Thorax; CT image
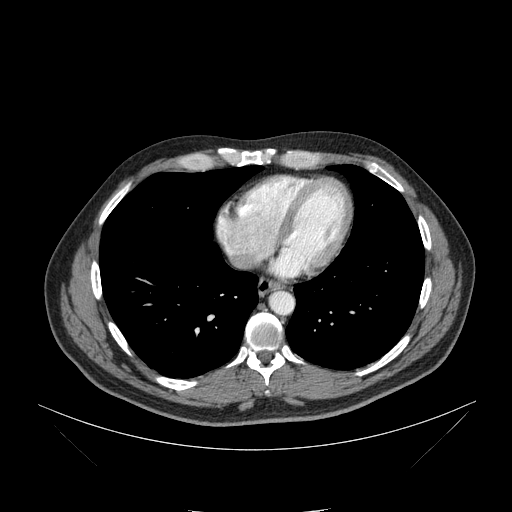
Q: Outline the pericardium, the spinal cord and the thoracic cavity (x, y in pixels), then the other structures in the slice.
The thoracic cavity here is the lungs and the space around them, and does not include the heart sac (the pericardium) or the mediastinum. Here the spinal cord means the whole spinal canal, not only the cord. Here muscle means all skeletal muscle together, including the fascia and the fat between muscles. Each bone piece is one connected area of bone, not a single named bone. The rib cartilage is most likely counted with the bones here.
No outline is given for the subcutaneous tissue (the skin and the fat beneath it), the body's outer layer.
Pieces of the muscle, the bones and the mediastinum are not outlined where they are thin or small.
A: The pericardium is outlined by 286 282; 301 281; 313 277; 322 271; 337 255; 349 235; 354 210; 353 197; 349 187; 336 177; 318 174; 291 174; 290 175; 273 174; 264 176; 242 186; 221 207; 215 223; 215 239; 222 250; 227 255; 231 264; 240 268; 251 269. The spinal cord is outlined by 263 363; 267 363; 271 359; 271 358; 272 357; 272 355; 273 354; 272 353; 272 352; 271 351; 268 351; 267 350; 262 350; 261 351; 259 351; 257 353; 257 356; 258 357; 258 358. The thoracic cavity appears in 2 outlined pieces: piece 1: 186 379; 219 367; 236 354; 244 325; 257 302; 257 276; 252 272; 234 270; 225 263; 213 239; 212 225; 221 204; 247 179; 262 170; 262 166; 154 173; 132 189; 103 224; 99 265; 103 296; 113 320; 130 347; 148 366; 160 374; piece 2: 341 370; 364 367; 378 359; 406 332; 417 307; 424 277; 424 249; 416 220; 402 195; 364 168; 351 164; 327 166; 342 173; 350 183; 355 205; 350 235; 338 255; 322 272; 294 285; 296 306; 285 327; 285 339; 294 352; 309 362. The torso is outlined by 213 427; 313 421; 347 413; 429 374; 451 351; 465 321; 473 290; 473 250; 444 201; 388 147; 365 136; 329 130; 257 139; 208 134; 164 139; 122 161; 65 230; 47 264; 43 286; 48 322; 64 354; 96 387; 114 397; 170 419. The muscle appears in 2 outlined pieces: piece 1: 211 409; 242 409; 263 396; 307 404; 347 395; 403 369; 429 351; 448 330; 460 299; 461 264; 458 261; 454 264; 449 256; 447 239; 435 215; 387 161; 370 154; 312 151; 323 156; 324 163; 318 167; 332 163; 363 167; 366 159; 379 163; 403 185; 402 194; 415 218; 421 213; 431 232; 432 249; 425 251; 425 275; 432 278; 432 291; 425 307; 417 308; 407 330; 412 338; 396 358; 362 377; 355 376; 355 370; 286 361; 272 373; 266 386; 262 376; 243 362; 229 369; 222 366; 209 371; 195 378; 196 386; 178 392; 156 383; 152 377; 157 372; 135 354; 129 357; 115 342; 106 326; 112 319; 104 299; 98 301; 92 294; 89 269; 93 258; 98 261; 102 226; 97 223; 98 215; 128 180; 133 181; 133 188; 154 172; 183 170; 175 163; 182 154; 200 151; 214 155; 216 166; 226 164; 215 154; 217 147; 159 158; 122 179; 102 203; 79 242; 69 281; 62 283; 60 308; 67 333; 90 359; 115 377; 150 394; piece 2: 276 163; 277 163; 277 162; 278 161; 278 156; 282 152; 283 152; 285 150; 286 150; 288 148; 289 148; 287 148; 286 147; 275 147; 276 147; 278 149; 278 153; 274 157; 274 158; 273 159; 273 162; 275 162. The bones appear in 12 outlined pieces: piece 1: 266 385; 268 385; 271 373; 283 365; 286 360; 299 364; 307 363; 294 353; 285 341; 282 323; 273 314; 266 311; 261 311; 249 317; 244 329; 243 342; 237 354; 224 365; 224 368; 229 368; 245 361; 250 368; 257 370; 263 376; inner edge: 263 363; 267 363; 271 359; 271 358; 272 357; 272 355; 273 354; 272 353; 272 352; 271 351; 268 351; 267 350; 262 350; 261 351; 259 351; 257 353; 257 356; 258 357; 258 358; piece 2: 231 166; 243 166; 247 164; 259 164; 260 165; 269 164; 272 162; 273 157; 277 153; 277 149; 274 147; 269 147; 266 148; 263 151; 259 149; 238 151; 235 148; 232 148; 231 147; 218 147; 216 149; 216 154; 222 161; piece 3: 295 169; 311 169; 312 168; 315 168; 317 167; 318 165; 319 165; 321 163; 323 163; 323 160; 322 159; 322 156; 321 154; 318 152; 312 152; 311 151; 308 151; 307 150; 288 149; 279 156; 279 161; 278 163; 286 167; 291 167; piece 4: 185 171; 205 171; 208 169; 214 168; 216 165; 216 161; 215 160; 215 157; 214 156; 208 155; 207 154; 204 154; 200 152; 193 152; 192 153; 188 153; 187 154; 182 155; 177 158; 176 160; 176 163; piece 5: 359 376; 362 376; 365 374; 367 374; 378 369; 396 357; 406 346; 410 340; 411 338; 411 334; 409 332; 407 332; 393 347; 392 347; 378 360; 374 362; 372 362; 364 368; 358 368; 356 369; 354 373; 355 375; 358 375; piece 6: 401 193; 404 191; 404 189; 402 185; 383 167; 382 167; 376 162; 374 162; 373 161; 368 161; 367 160; 364 161; 364 167; 369 172; 377 176; 379 178; 380 178; 382 180; 383 180; 385 182; 386 182; 388 184; 398 190; piece 7: 100 225; 102 225; 102 224; 104 222; 104 221; 106 219; 108 215; 115 207; 115 206; 131 189; 132 187; 132 181; 128 181; 109 199; 109 200; 107 202; 107 203; 105 205; 103 209; 100 212; 99 218; 98 219; 98 223; piece 8: 178 391; 179 390; 186 389; 196 385; 197 384; 197 381; 194 378; 190 380; 186 380; 185 379; 179 379; 178 378; 171 378; 170 377; 167 377; 166 376; 160 375; 159 374; 157 374; 153 377; 153 379; 159 384; 169 388; 172 388; piece 9: 98 300; 102 297; 102 290; 101 289; 101 280; 100 279; 100 273; 99 272; 99 266; 98 265; 98 262; 95 259; 93 259; 91 262; 91 268; 90 269; 90 279; 91 280; 91 285; 92 286; 92 291; 93 292; 93 294; 94 296; piece 10: 129 356; 132 356; 133 355; 134 353; 133 351; 129 347; 124 336; 122 334; 116 324; 112 320; 109 320; 107 322; 107 326; 108 327; 109 331; 111 333; 112 336; 114 338; 116 342; 119 345; 119 346; 123 350; 123 351; 124 351; piece 11: 425 250; 430 250; 431 249; 431 237; 430 236; 430 232; 429 231; 429 228; 428 227; 428 225; 424 217; 421 214; 419 214; 417 217; 417 224; 419 228; 419 231; 421 235; 422 242; 423 243; 423 245; 424 246; 424 248; piece 12: 420 309; 421 308; 423 308; 426 304; 429 297; 429 294; 431 291; 432 281; 431 280; 431 278; 429 276; 425 276; 423 280; 423 283; 422 284; 422 287; 421 288; 421 291; 420 292; 420 295; 419 296; 419 301; 418 302; 418 308. The mediastinum appears in 2 outlined pieces: piece 1: 284 327; 290 318; 295 306; 293 285; 296 283; 282 282; 251 270; 245 270; 234 267; 230 264; 226 255; 221 249; 222 255; 226 263; 232 268; 237 270; 252 271; 258 276; 258 302; 250 315; 261 310; 269 311; 273 313; 283 323; piece 2: 349 186; 347 179; 342 174; 336 171; 328 170; 326 168; 326 166; 311 170; 295 170; 291 168; 286 168; 275 163; 272 163; 269 165; 263 165; 264 168; 262 171; 251 177; 242 185; 251 180; 273 173; 276 174; 318 173; 336 176.